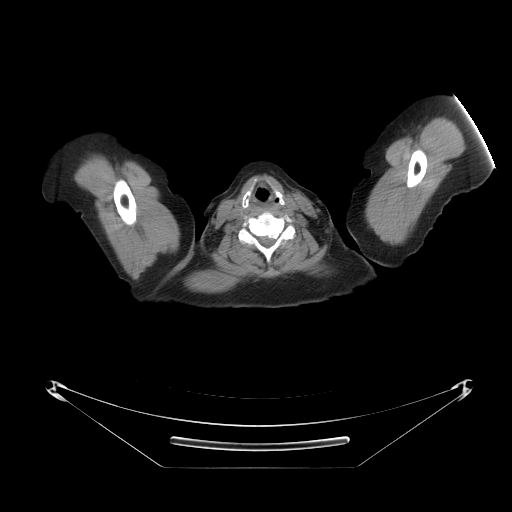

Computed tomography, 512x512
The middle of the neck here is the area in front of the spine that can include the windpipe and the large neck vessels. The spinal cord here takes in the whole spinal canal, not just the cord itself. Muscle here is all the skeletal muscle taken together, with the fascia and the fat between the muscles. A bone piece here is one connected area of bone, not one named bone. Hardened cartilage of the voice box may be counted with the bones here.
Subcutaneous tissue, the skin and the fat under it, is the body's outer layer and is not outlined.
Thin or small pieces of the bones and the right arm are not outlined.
Outlined structures:
torso: [[339,231],[345,244],[352,249],[357,249],[371,262],[379,274],[375,281],[359,287],[351,294],[336,296],[317,303],[279,308],[196,308],[160,303],[137,303],[187,263],[197,240],[206,259],[225,279],[252,290],[276,292],[298,283],[310,275],[331,254]]
head and neck: [[257,159],[269,160],[278,164],[294,180],[315,193],[327,207],[331,218],[338,229],[336,242],[330,254],[304,279],[276,291],[252,289],[236,284],[225,278],[207,259],[197,239],[206,224],[203,213],[208,203],[212,198],[228,187],[238,170],[245,163]]
left arm: [[447,92],[460,109],[493,171],[482,185],[451,199],[437,218],[434,228],[428,233],[423,246],[410,255],[402,266],[395,269],[385,268],[369,260],[361,252],[344,223],[353,187],[370,175],[370,171],[363,167],[364,152],[386,124],[410,103],[426,95]]
middle of the neck: [[260,179],[265,180],[265,181],[270,186],[274,194],[278,198],[278,201],[281,205],[284,205],[285,202],[285,206],[284,207],[280,209],[264,210],[263,211],[246,211],[244,209],[248,207],[249,205],[249,197],[252,193],[255,184]]
bones 1: [[264,211],[270,211],[277,217],[287,214],[293,218],[292,224],[295,228],[294,237],[292,239],[283,240],[274,250],[269,262],[266,261],[264,255],[253,244],[243,243],[238,238],[238,232],[242,226],[242,223],[245,220],[244,216],[248,217],[256,216]] with a hole at [[258,236],[266,236],[269,238],[273,238],[274,239],[275,239],[275,241],[273,243],[273,244],[272,244],[270,246],[268,246],[267,247],[266,246],[264,246],[263,245],[262,245],[259,242],[259,241],[257,239],[257,238],[256,237],[257,237]]
bones 2: [[119,179],[123,179],[127,183],[135,200],[135,203],[136,204],[136,222],[132,226],[129,226],[125,224],[123,222],[122,219],[120,217],[116,209],[116,206],[114,202],[114,199],[113,198],[113,189],[114,188],[114,186],[115,185],[115,183],[116,181]]
bones 3: [[417,149],[420,149],[425,153],[426,157],[427,158],[427,167],[421,181],[417,185],[410,188],[406,185],[406,182],[407,181],[407,171],[408,170],[408,164],[411,157],[411,154],[413,152],[413,151]]
bones 4: [[255,177],[258,177],[260,178],[254,184],[253,186],[253,188],[251,191],[251,193],[248,197],[248,205],[247,207],[245,208],[243,208],[241,205],[241,202],[242,201],[242,197],[243,195],[246,192],[246,191],[250,187],[252,183],[252,181]]
bones 5: [[266,179],[267,180],[268,180],[272,184],[272,185],[277,190],[278,190],[283,195],[283,199],[284,200],[284,204],[281,204],[280,203],[280,202],[279,201],[279,198],[275,194],[275,193],[274,192],[273,189],[271,187],[271,186],[266,181]]
muscle 1: [[256,169],[274,172],[301,191],[321,211],[329,228],[329,248],[324,261],[333,271],[322,276],[296,272],[262,278],[244,288],[220,293],[190,291],[180,280],[209,265],[209,257],[203,251],[203,238],[208,222],[220,201],[240,184],[248,172]] with a hole at [[255,177],[268,180],[283,195],[285,206],[270,211],[277,217],[287,214],[293,218],[292,224],[295,228],[294,237],[283,240],[274,250],[269,262],[253,244],[243,243],[238,238],[244,216],[256,216],[262,212],[246,211],[241,205],[242,197]]
muscle 2: [[90,151],[100,152],[111,158],[131,159],[141,165],[151,176],[152,183],[159,189],[160,200],[172,212],[179,225],[181,236],[178,251],[175,254],[161,257],[137,279],[132,279],[116,258],[98,220],[94,208],[94,198],[80,189],[72,178],[81,159]]; inner edge: [[119,179],[123,179],[127,183],[135,200],[135,203],[136,204],[136,222],[132,226],[129,226],[125,224],[123,222],[122,219],[120,217],[116,209],[116,206],[114,202],[114,199],[113,198],[113,189],[114,188],[114,186],[115,185],[115,183],[116,181]]
muscle 3: [[435,116],[454,124],[463,135],[467,148],[459,157],[451,161],[453,165],[452,169],[425,206],[411,235],[404,243],[391,245],[381,240],[368,228],[364,217],[367,197],[386,168],[384,158],[385,149],[394,140],[407,133],[411,133],[419,124],[423,125]] with a hole at [[417,149],[420,149],[425,153],[426,157],[427,158],[427,167],[421,181],[417,185],[410,188],[406,185],[406,182],[407,181],[407,171],[408,170],[408,164],[411,157],[411,154],[413,152],[413,151]]
spinal cord: [[258,236],[266,236],[269,238],[273,238],[274,239],[275,239],[275,241],[273,243],[273,244],[272,244],[270,246],[268,246],[267,247],[266,246],[264,246],[263,245],[262,245],[259,242],[259,241],[257,239],[257,238],[256,237],[257,237]]
right arm: [[95,129],[116,134],[130,149],[144,154],[160,165],[167,173],[170,189],[187,200],[195,218],[196,240],[186,263],[151,293],[136,302],[128,294],[127,284],[116,276],[80,220],[80,214],[64,203],[48,204],[41,193],[42,173],[50,155],[68,139]]